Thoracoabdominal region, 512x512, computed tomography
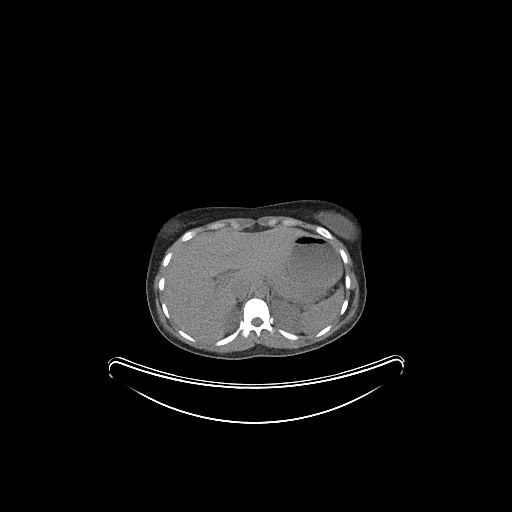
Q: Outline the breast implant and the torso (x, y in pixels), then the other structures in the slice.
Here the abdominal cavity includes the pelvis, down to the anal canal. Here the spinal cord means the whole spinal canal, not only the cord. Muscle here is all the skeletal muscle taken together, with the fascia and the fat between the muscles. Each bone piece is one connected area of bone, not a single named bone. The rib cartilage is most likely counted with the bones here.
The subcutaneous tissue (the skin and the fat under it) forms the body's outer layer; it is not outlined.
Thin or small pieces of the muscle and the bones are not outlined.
A: {"breast_implant":[[[320,210],[330,210],[331,211],[338,212],[341,214],[343,214],[349,217],[358,227],[358,237],[355,240],[353,240],[352,241],[347,241],[346,240],[341,239],[333,235],[323,225],[319,223],[313,217],[315,213],[317,211],[319,211]]],"torso":[[[299,199],[323,199],[335,202],[352,211],[363,226],[362,258],[367,293],[364,309],[355,325],[339,338],[320,348],[283,357],[217,359],[188,352],[168,341],[152,320],[145,292],[150,251],[154,235],[160,224],[170,215],[187,208],[202,206],[255,207]]],"spinal_cord":[[[255,318],[256,318],[257,318],[258,318],[259,318],[260,319],[261,320],[262,321],[262,322],[261,323],[260,324],[259,325],[258,325],[257,325],[256,325],[255,325],[254,325],[253,324],[252,323],[252,322],[252,321],[252,320],[253,319],[254,319]]],"bones":[{"outer":[[251,298],[260,298],[266,302],[274,320],[272,324],[274,331],[271,333],[262,329],[259,336],[257,336],[251,330],[246,337],[239,333],[231,341],[222,345],[215,345],[215,342],[224,339],[239,327],[239,322],[243,320],[243,305],[246,300]],"hole":[[255,318],[256,318],[257,318],[258,318],[259,318],[260,319],[261,320],[262,321],[262,322],[261,323],[260,324],[259,325],[258,325],[257,325],[256,325],[255,325],[254,325],[253,324],[252,323],[252,322],[252,321],[252,320],[253,319],[254,319]]},[[319,225],[320,226],[322,226],[323,227],[324,227],[333,236],[333,238],[332,239],[329,239],[328,238],[326,238],[325,237],[324,237],[322,235],[321,235],[320,234],[319,234],[318,233],[317,233],[315,231],[315,228],[317,226],[318,226]],[[279,328],[283,330],[285,330],[290,333],[293,333],[294,334],[296,334],[298,335],[299,337],[297,339],[295,339],[294,340],[292,339],[289,339],[285,337],[283,335],[282,335],[277,330],[277,329]],[[188,230],[193,230],[194,231],[195,231],[196,232],[196,233],[191,238],[190,238],[188,240],[187,240],[186,241],[181,241],[180,240],[180,237],[186,231],[187,231]],[[169,252],[171,252],[172,253],[172,256],[171,257],[171,258],[169,261],[169,263],[167,265],[167,266],[166,266],[165,267],[164,266],[163,266],[163,265],[162,264],[162,261],[163,260],[163,258],[164,257],[164,256],[167,253],[168,253]],[[162,302],[165,302],[165,303],[167,306],[167,308],[168,309],[168,311],[169,312],[169,314],[170,315],[170,318],[167,318],[166,317],[166,316],[164,314],[164,313],[163,312],[163,310],[162,309],[162,306],[161,305],[161,304],[162,303]],[[329,324],[330,324],[331,325],[331,327],[330,328],[330,329],[329,330],[328,330],[325,333],[324,333],[323,334],[322,334],[321,335],[320,335],[319,336],[315,336],[315,334],[316,334],[320,330],[321,330],[324,327],[325,327],[327,325],[328,325]],[[341,248],[344,250],[344,251],[345,252],[345,253],[347,256],[347,263],[346,264],[344,264],[344,263],[342,260],[342,258],[341,257],[341,256],[339,253],[339,249],[340,249]],[[178,329],[180,329],[182,331],[183,331],[185,333],[186,333],[187,334],[188,334],[192,338],[193,338],[194,339],[195,339],[196,340],[196,341],[191,341],[190,340],[189,340],[188,339],[187,339],[186,338],[185,338],[183,336],[182,336],[178,332]],[[345,299],[347,299],[348,300],[348,304],[347,305],[347,307],[346,308],[346,309],[345,310],[345,311],[344,312],[344,313],[343,314],[340,314],[339,313],[339,312],[340,311],[340,309],[341,308],[341,306],[342,305],[342,303],[345,300]],[[161,277],[164,277],[165,278],[165,283],[164,284],[164,289],[162,291],[161,291],[159,289],[159,287],[158,286],[158,283],[159,282],[159,280],[160,279],[160,278]],[[346,274],[347,274],[349,276],[349,278],[350,279],[350,285],[349,286],[349,288],[348,289],[346,289],[346,288],[345,287],[345,275]]],"mediastinum":[[[258,281],[263,281],[264,282],[265,282],[265,283],[266,284],[266,288],[267,289],[267,296],[266,297],[266,301],[265,301],[260,297],[251,297],[250,298],[248,298],[247,299],[247,298],[251,291],[251,289],[252,288],[253,285],[256,282],[257,282]]],"abdominal_cavity":[[[256,225],[299,226],[314,231],[333,245],[345,273],[346,295],[338,314],[314,334],[290,332],[281,328],[272,316],[267,303],[267,284],[258,280],[242,305],[238,327],[217,341],[199,342],[175,325],[171,317],[164,297],[168,265],[182,243],[198,232]]],"muscle":[[[334,236],[348,250],[358,282],[359,298],[351,319],[322,340],[297,348],[274,348],[256,344],[248,349],[221,353],[196,348],[183,342],[166,330],[159,320],[153,283],[162,259],[162,266],[167,267],[165,277],[161,276],[157,283],[158,289],[163,291],[164,301],[160,304],[162,312],[167,319],[171,318],[178,328],[177,332],[191,342],[213,343],[218,347],[231,342],[239,334],[246,338],[251,331],[257,337],[262,330],[272,334],[275,331],[273,326],[275,321],[279,327],[276,330],[289,340],[297,340],[299,335],[319,337],[331,329],[331,324],[339,314],[345,313],[349,304],[346,290],[350,288],[351,279],[345,272],[348,256],[343,248],[339,248],[338,251],[330,242]],[[271,215],[273,215],[274,216],[278,216],[279,215],[282,215],[283,216],[288,216],[289,217],[292,217],[296,219],[300,219],[303,221],[306,221],[310,223],[314,223],[315,224],[317,224],[318,225],[317,225],[314,228],[314,230],[312,229],[309,229],[308,228],[306,228],[305,227],[303,227],[299,225],[292,225],[292,221],[287,218],[285,219],[283,219],[280,222],[281,223],[280,225],[277,225],[276,224],[275,225],[267,225],[265,226],[264,225],[259,225],[258,224],[256,224],[251,227],[245,227],[244,228],[227,228],[226,227],[223,227],[224,227],[226,225],[223,222],[215,222],[211,226],[212,228],[211,229],[207,229],[203,231],[198,231],[197,232],[193,229],[190,229],[192,227],[196,227],[197,226],[204,225],[207,223],[209,223],[210,222],[213,222],[219,219],[224,219],[225,218],[235,218],[236,217],[240,217],[241,218],[251,218],[252,219],[257,219],[263,216],[270,216]],[[179,237],[179,240],[181,242],[182,242],[181,243],[181,244],[177,248],[177,249],[175,251],[175,252],[173,254],[173,255],[173,253],[171,251],[169,251],[168,252],[167,252],[165,254],[165,251],[166,250],[166,249],[171,244],[172,244]]]}